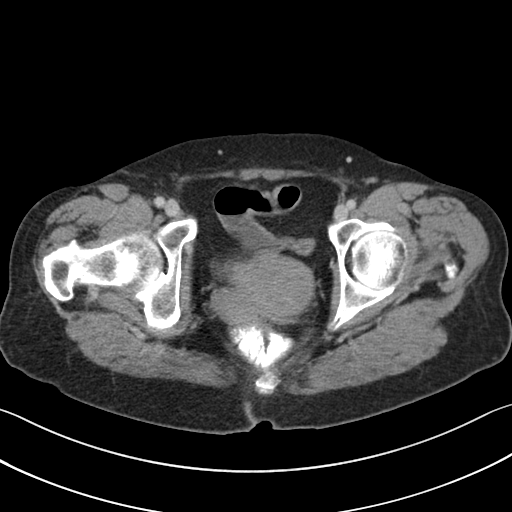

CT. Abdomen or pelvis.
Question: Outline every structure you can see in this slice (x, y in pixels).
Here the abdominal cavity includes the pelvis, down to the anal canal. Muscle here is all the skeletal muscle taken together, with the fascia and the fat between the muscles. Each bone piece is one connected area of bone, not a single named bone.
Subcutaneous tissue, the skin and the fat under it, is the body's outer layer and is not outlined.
Answer: Outlined structures:
abdominal cavity: [[260,177],[271,181],[321,177],[339,188],[331,206],[331,218],[326,225],[327,238],[336,255],[331,265],[327,320],[319,326],[306,328],[297,346],[265,372],[240,355],[204,315],[194,310],[192,284],[199,223],[184,198],[186,185],[194,180],[250,180]]
torso: [[255,132],[341,137],[486,201],[508,241],[501,293],[511,318],[511,345],[503,360],[435,394],[360,420],[284,430],[262,421],[247,432],[223,435],[108,412],[6,362],[0,351],[0,311],[8,290],[9,254],[34,203],[58,188],[93,181],[184,140]]
muscle: [[242,167],[323,169],[357,183],[418,182],[462,201],[483,225],[489,254],[447,317],[447,343],[439,353],[405,372],[366,384],[309,395],[259,396],[113,372],[76,350],[33,270],[35,245],[48,215],[78,190],[95,184],[122,183],[161,192],[178,175]], around holes outlined by [[260,177],[329,180],[330,223],[385,221],[408,251],[393,292],[335,331],[335,259],[327,320],[270,369],[272,393],[194,310],[194,239],[171,327],[147,327],[130,285],[78,284],[66,301],[46,289],[43,257],[71,240],[151,237],[195,215],[189,182]] and by [[452,260],[453,260],[456,262],[456,263],[457,264],[457,266],[458,267],[458,270],[456,272],[454,277],[453,277],[452,278],[449,278],[447,276],[447,275],[446,274],[446,272],[445,271],[445,269],[444,268],[444,263],[446,261],[451,261]]
bones 1: [[191,216],[197,219],[198,232],[182,247],[180,317],[171,327],[154,331],[147,327],[143,303],[132,297],[130,285],[78,284],[73,289],[73,298],[66,301],[58,300],[44,285],[43,257],[73,239],[82,247],[93,248],[134,232],[151,237],[160,226]]
bones 2: [[350,218],[358,218],[370,223],[376,221],[385,221],[389,223],[396,229],[396,232],[406,242],[408,254],[402,279],[392,293],[362,309],[348,321],[343,323],[335,331],[330,331],[327,326],[336,313],[339,302],[340,281],[336,250],[328,238],[327,225]]
bones 3: [[269,371],[271,371],[276,376],[276,377],[279,380],[279,382],[273,390],[272,393],[270,394],[266,394],[265,395],[262,395],[261,394],[259,394],[255,390],[255,381],[256,379],[257,379],[261,375]]
bones 4: [[452,260],[453,260],[456,262],[456,263],[457,264],[457,266],[458,267],[458,270],[456,272],[454,277],[453,277],[452,278],[449,278],[447,276],[447,275],[446,274],[446,272],[445,271],[445,269],[444,268],[444,263],[446,261],[451,261]]